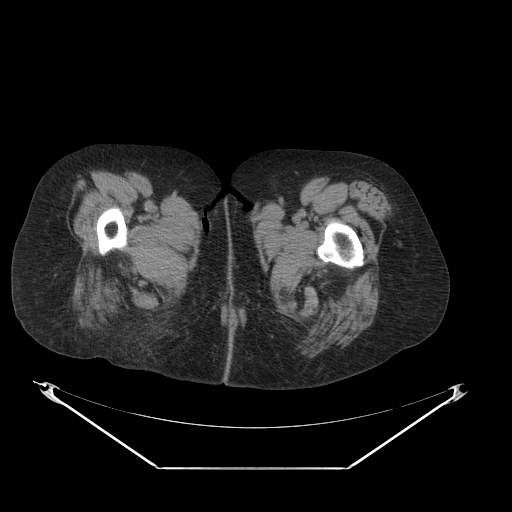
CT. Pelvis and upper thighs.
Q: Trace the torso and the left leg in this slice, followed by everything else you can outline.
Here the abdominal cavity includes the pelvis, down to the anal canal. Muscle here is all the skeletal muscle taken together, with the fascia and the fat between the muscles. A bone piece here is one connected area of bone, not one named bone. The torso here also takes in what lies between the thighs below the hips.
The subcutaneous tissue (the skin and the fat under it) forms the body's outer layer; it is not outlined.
A: {"torso":[[[230,187],[239,201],[245,215],[249,258],[275,376],[272,390],[235,388],[223,384],[207,385],[197,383],[204,362],[211,326],[210,317],[212,311],[213,251],[207,230],[208,216],[218,200],[221,191],[221,195],[223,196],[230,190]]],"left_leg":[[[274,148],[345,150],[362,153],[386,162],[407,181],[434,232],[450,275],[450,293],[446,312],[439,327],[427,339],[399,352],[386,362],[372,369],[331,384],[295,390],[273,390],[276,376],[250,258],[246,215],[229,181],[232,171],[243,160],[257,152]]],"muscle":[{"outer":[[92,169],[116,173],[137,171],[150,179],[159,195],[176,191],[198,214],[201,227],[197,264],[189,273],[185,292],[176,305],[169,326],[171,332],[151,343],[129,342],[87,331],[78,325],[74,317],[71,295],[81,250],[69,232],[66,214],[74,183]],"hole":[[113,206],[117,206],[122,212],[124,218],[124,221],[127,228],[127,234],[126,235],[127,238],[127,244],[122,250],[114,249],[109,251],[105,255],[101,255],[99,253],[98,250],[98,242],[97,241],[97,235],[96,234],[96,223],[99,215],[106,209]]},{"outer":[[322,174],[358,174],[376,182],[387,192],[393,213],[381,236],[378,252],[379,301],[372,324],[344,348],[328,349],[309,359],[292,350],[298,340],[272,311],[268,279],[263,273],[253,239],[251,213],[259,201],[268,200],[281,202],[290,212],[301,185]],"hole":[[332,220],[338,220],[345,224],[347,224],[356,232],[362,244],[362,247],[364,251],[364,261],[365,263],[362,266],[356,267],[353,269],[348,269],[347,268],[341,267],[332,262],[324,262],[317,255],[316,249],[318,246],[323,242],[325,227],[328,222]]},[[222,305],[233,305],[237,307],[242,307],[244,308],[245,310],[246,321],[245,322],[244,328],[242,328],[241,327],[237,327],[234,332],[234,334],[232,336],[230,333],[230,331],[227,328],[224,328],[222,327],[220,324],[220,322],[221,321],[221,307]]],"bones":[[[332,220],[338,220],[345,224],[347,224],[356,232],[362,244],[362,247],[364,251],[364,261],[365,263],[362,266],[356,267],[353,269],[348,269],[347,268],[341,267],[332,262],[324,262],[317,255],[316,249],[318,246],[323,242],[325,227],[328,222]],[[113,206],[117,206],[122,212],[124,218],[124,221],[127,228],[127,234],[126,235],[127,238],[127,244],[122,250],[114,249],[109,251],[105,255],[101,255],[99,253],[98,250],[98,242],[97,241],[97,235],[96,234],[96,223],[99,215],[106,209]]],"right_leg":[[[98,142],[182,148],[202,158],[219,178],[220,193],[207,221],[205,218],[203,220],[212,251],[212,291],[209,332],[196,383],[122,368],[99,357],[80,359],[56,353],[29,336],[14,314],[10,292],[11,255],[35,186],[41,175],[58,158]]],"abdominal_cavity":[[[232,320],[233,320],[234,320],[235,321],[235,322],[235,323],[235,324],[235,325],[235,326],[234,327],[233,327],[232,327],[231,326],[231,325],[231,324],[231,323],[231,322],[231,321]]]}